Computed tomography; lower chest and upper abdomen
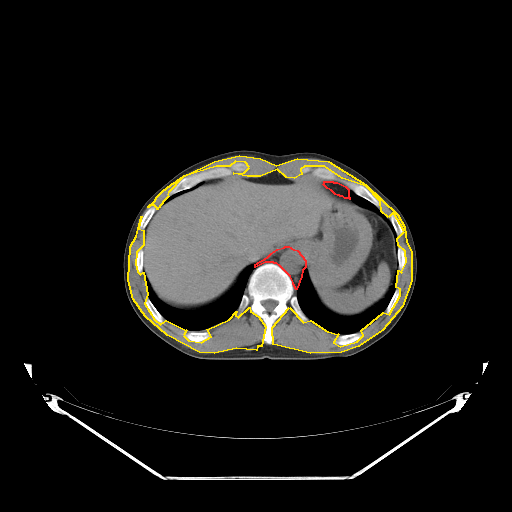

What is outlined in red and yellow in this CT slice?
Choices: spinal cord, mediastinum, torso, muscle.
red: mediastinum; yellow: muscle.
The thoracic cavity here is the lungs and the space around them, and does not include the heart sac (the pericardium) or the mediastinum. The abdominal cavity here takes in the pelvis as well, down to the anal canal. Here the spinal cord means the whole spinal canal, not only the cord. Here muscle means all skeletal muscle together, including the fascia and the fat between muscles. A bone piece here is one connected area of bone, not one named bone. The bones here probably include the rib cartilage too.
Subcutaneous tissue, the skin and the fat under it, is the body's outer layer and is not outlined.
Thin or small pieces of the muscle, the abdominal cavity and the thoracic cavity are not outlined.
mediastinum 1: [[285,246],[288,246],[293,249],[297,250],[305,260],[305,267],[302,270],[301,276],[296,289],[293,284],[293,282],[290,276],[279,265],[276,263],[274,263],[273,262],[265,262],[255,267],[255,264],[267,257],[271,253],[277,249],[284,247]]
mediastinum 2: [[324,181],[332,181],[333,182],[337,182],[345,186],[348,189],[348,196],[349,197],[349,199],[347,198],[345,198],[342,196],[340,196],[339,195],[337,195],[335,194],[331,190],[327,188],[323,184],[324,183]]
muscle 1: [[239,155],[260,158],[276,165],[297,158],[328,161],[365,184],[397,214],[404,226],[406,242],[411,251],[411,280],[402,306],[382,330],[358,346],[341,352],[310,353],[273,344],[272,327],[289,307],[303,322],[310,320],[327,331],[338,334],[333,342],[340,346],[357,341],[363,335],[361,330],[383,312],[389,314],[400,295],[400,289],[396,287],[398,270],[401,272],[406,262],[405,251],[398,245],[397,238],[404,231],[393,212],[388,217],[381,211],[380,201],[366,186],[342,178],[324,166],[304,166],[300,169],[301,174],[294,178],[286,177],[277,169],[260,176],[247,176],[233,173],[244,172],[249,167],[245,162],[235,161],[229,166],[216,166],[183,176],[214,161]]
muscle 2: [[141,216],[138,228],[143,230],[143,245],[136,252],[135,264],[137,271],[140,274],[143,272],[147,294],[144,303],[154,319],[160,324],[166,320],[186,330],[183,335],[188,340],[201,342],[211,336],[207,329],[229,319],[236,311],[235,315],[238,317],[249,307],[250,311],[258,316],[265,326],[261,346],[257,346],[256,350],[236,348],[214,353],[199,352],[167,335],[145,316],[133,299],[128,280],[130,246],[136,236]]
muscle 3: [[181,177],[182,177],[168,192],[167,194],[168,196],[162,202],[162,203],[159,206],[159,207],[157,208],[157,209],[157,208],[154,205],[151,205],[148,207],[148,206],[154,201],[157,196],[164,189],[165,189],[168,186],[169,186],[172,183],[173,183]]
abdominal cavity: [[274,170],[289,179],[309,174],[335,195],[388,218],[397,239],[397,275],[383,299],[357,315],[333,313],[320,302],[305,258],[285,245],[246,267],[231,291],[207,307],[189,311],[161,301],[144,275],[144,230],[156,210],[203,181],[232,174],[260,177]]
bones 1: [[265,263],[276,264],[289,276],[295,289],[298,304],[308,318],[308,321],[303,321],[289,306],[288,309],[275,320],[271,327],[272,344],[267,344],[262,340],[266,326],[263,320],[251,311],[249,306],[238,316],[236,315],[250,275],[255,268]], around a hole outlined by [[264,300],[274,300],[275,301],[276,301],[277,302],[277,304],[274,307],[274,308],[270,312],[269,312],[268,311],[267,311],[266,310],[266,309],[265,308],[265,307],[262,304],[262,301],[263,301]]
bones 2: [[235,162],[245,163],[248,167],[247,169],[244,171],[241,171],[240,172],[234,171],[230,175],[227,175],[223,177],[206,179],[197,183],[188,189],[179,191],[169,196],[168,194],[183,177],[190,176],[201,171],[208,170],[216,167],[229,167],[232,163]]
bones 3: [[304,167],[309,167],[311,169],[317,167],[328,168],[335,172],[342,179],[353,181],[363,185],[379,201],[380,206],[379,207],[376,206],[365,198],[356,194],[351,189],[349,189],[340,182],[332,180],[324,180],[313,176],[310,172],[302,173],[301,169]]
bones 4: [[356,332],[361,332],[362,335],[361,337],[360,337],[357,340],[353,342],[351,342],[350,343],[348,343],[344,345],[340,345],[339,344],[336,344],[334,342],[334,339],[337,335],[342,335],[343,334],[351,334],[352,333],[355,333]]
bones 5: [[205,330],[206,331],[208,331],[210,333],[210,336],[208,338],[207,338],[206,339],[205,339],[204,340],[202,340],[201,341],[192,341],[191,340],[190,340],[189,339],[188,339],[184,335],[184,333],[186,331],[204,331]]
bones 6: [[146,297],[148,297],[149,298],[149,299],[154,305],[154,306],[156,308],[156,309],[165,319],[165,321],[163,323],[160,323],[158,321],[157,321],[155,319],[155,318],[150,313],[150,312],[149,311],[149,310],[147,308],[147,306],[145,303],[145,298]]
bones 7: [[151,206],[154,206],[156,208],[156,209],[154,213],[152,215],[151,218],[149,220],[148,223],[146,225],[145,228],[142,230],[139,228],[139,225],[140,224],[140,221],[141,220],[141,218],[143,214],[145,212],[145,211],[149,207]]
bones 8: [[391,213],[393,213],[398,218],[398,219],[401,224],[401,226],[402,227],[402,230],[403,231],[403,233],[401,235],[399,235],[398,236],[397,236],[397,235],[396,234],[396,233],[393,228],[393,226],[392,225],[392,224],[389,219],[389,216]]
bones 9: [[396,288],[398,288],[399,289],[399,295],[398,296],[398,298],[396,301],[396,303],[394,305],[393,308],[389,313],[385,313],[385,312],[384,311],[385,310],[387,305],[389,303],[389,302],[390,301],[390,300],[391,299],[391,298],[395,291],[395,289]]
bones 10: [[398,246],[400,246],[403,249],[403,250],[404,251],[404,253],[405,254],[405,262],[404,263],[404,266],[403,267],[403,269],[401,271],[400,270],[399,270],[398,269],[398,256],[397,255],[397,249],[398,248]]
bones 11: [[140,249],[142,249],[143,250],[143,271],[141,273],[140,273],[138,271],[138,270],[137,269],[137,265],[136,264],[136,256],[137,255],[137,252]]
thoracic cavity 1: [[252,265],[254,265],[254,268],[248,277],[245,290],[234,313],[229,318],[204,330],[187,330],[174,325],[157,309],[148,296],[146,289],[145,278],[149,282],[153,293],[161,302],[178,310],[193,312],[207,308],[225,298],[232,291],[244,270]]
thoracic cavity 2: [[305,268],[307,270],[309,280],[319,302],[333,314],[342,317],[351,317],[363,314],[383,300],[390,288],[394,284],[395,288],[384,310],[369,325],[359,331],[339,334],[329,331],[318,325],[309,319],[302,310],[298,301],[296,290],[300,282],[303,270]]
thoracic cavity 3: [[349,190],[351,190],[356,195],[365,199],[367,201],[368,201],[370,203],[371,203],[373,205],[377,207],[379,209],[379,213],[377,213],[375,211],[373,211],[371,209],[369,209],[367,207],[364,207],[352,201],[352,200],[349,196]]
spinal cord: [[264,300],[274,300],[275,301],[276,301],[277,302],[277,304],[274,307],[274,308],[270,312],[269,312],[268,311],[267,311],[266,310],[266,309],[265,308],[265,307],[262,304],[262,301],[263,301]]
torso: [[240,149],[279,155],[305,151],[327,155],[362,174],[401,211],[413,236],[417,275],[404,313],[381,339],[345,357],[314,361],[268,358],[213,361],[179,351],[154,334],[136,315],[125,293],[122,263],[126,238],[137,212],[158,188],[184,168],[216,154]]